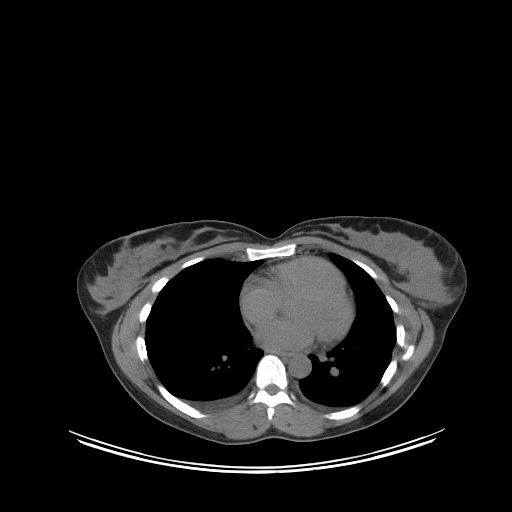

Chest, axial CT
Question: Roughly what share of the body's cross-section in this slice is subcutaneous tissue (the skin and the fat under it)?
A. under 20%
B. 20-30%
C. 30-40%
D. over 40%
Answer: C. 30-40%
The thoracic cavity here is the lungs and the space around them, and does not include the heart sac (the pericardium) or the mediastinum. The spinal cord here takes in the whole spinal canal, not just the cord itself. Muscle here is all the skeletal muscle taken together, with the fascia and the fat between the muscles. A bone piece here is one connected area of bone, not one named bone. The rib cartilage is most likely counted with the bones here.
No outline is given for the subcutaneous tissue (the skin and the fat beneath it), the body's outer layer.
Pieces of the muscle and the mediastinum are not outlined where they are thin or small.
Outlined structures:
spinal cord: (270, 384) (273, 384) (274, 385) (275, 385) (276, 386) (277, 386) (278, 387) (278, 388) (279, 389) (279, 390) (278, 391) (277, 391) (275, 393) (274, 393) (273, 394) (270, 394) (269, 393) (268, 393) (265, 390) (265, 387) (266, 386) (267, 386) (268, 385) (269, 385)
thoracic cavity 1: (210, 258) (241, 261) (262, 259) (261, 264) (243, 280) (238, 305) (242, 321) (251, 335) (252, 342) (262, 350) (263, 355) (256, 364) (252, 385) (247, 394) (222, 409) (202, 411) (172, 394) (161, 383) (148, 357) (145, 331) (146, 321) (153, 303) (169, 280) (182, 269)
thoracic cavity 2: (330, 252) (349, 259) (375, 281) (393, 313) (395, 325) (395, 344) (391, 352) (391, 359) (379, 383) (358, 403) (331, 411) (303, 397) (299, 397) (290, 386) (297, 386) (301, 379) (311, 373) (310, 354) (319, 356) (342, 341) (356, 315) (352, 287) (345, 274) (330, 258)
pericardium: (307, 254) (320, 256) (329, 260) (344, 274) (354, 297) (355, 315) (353, 321) (346, 335) (340, 341) (325, 349) (304, 351) (276, 349) (273, 347) (262, 345) (254, 338) (242, 317) (239, 303) (242, 286) (248, 276) (255, 272) (258, 267) (266, 262) (295, 255) (303, 256)
mediastinum 1: (252, 335) (253, 338) (262, 346) (276, 350) (309, 352) (321, 351) (334, 346) (331, 349) (320, 353) (319, 355) (310, 353) (308, 355) (311, 362) (310, 373) (307, 376) (301, 378) (297, 385) (290, 385) (286, 367) (282, 360) (275, 354) (264, 354) (263, 350) (254, 344)
mediastinum 2: (309, 249) (321, 249) (322, 250) (328, 251) (329, 252) (328, 256) (331, 260) (331, 261) (329, 259) (323, 256) (321, 256) (320, 255) (315, 255) (314, 254) (309, 254) (308, 253) (304, 254) (303, 255) (301, 254) (296, 254) (298, 252) (301, 252) (304, 250) (308, 250)
muscle: (302, 235) (309, 235) (310, 236) (315, 236) (316, 237) (324, 238) (333, 242) (335, 242) (348, 249) (356, 251) (368, 257) (387, 275) (391, 284) (397, 290) (400, 291) (408, 297) (416, 308) (419, 307) (423, 309) (429, 316) (434, 327) (434, 342) (433, 345) (427, 356) (421, 362) (418, 367) (403, 383) (403, 384) (389, 397) (360, 417) (350, 422) (338, 426) (328, 428) (323, 432) (316, 435) (312, 435) (311, 436) (297, 436) (296, 435) (292, 435) (280, 431) (276, 428) (271, 426) (267, 429) (265, 432) (260, 435) (254, 437) (251, 437) (250, 438) (246, 438) (245, 439) (232, 439) (231, 438) (228, 438) (222, 433) (214, 432) (202, 428) (163, 407) (150, 398) (144, 392) (140, 390) (124, 374) (117, 364) (111, 348) (111, 334) (112, 333) (112, 330) (119, 315) (128, 307) (130, 301) (146, 286) (149, 282) (149, 278) (153, 274) (188, 255) (221, 244) (234, 242) (235, 241) (245, 241) (246, 242) (251, 242) (252, 243) (260, 243) (261, 244) (272, 245) (278, 241) (284, 239) (287, 239) (288, 238) (291, 238) (292, 237) (297, 237), around a hole outlined by (290, 243) (297, 244) (298, 252) (321, 249) (369, 266) (378, 276) (374, 280) (379, 289) (397, 304) (393, 322) (403, 326) (404, 343) (414, 345) (412, 355) (403, 360) (406, 349) (396, 343) (391, 358) (396, 359) (397, 367) (389, 382) (384, 387) (379, 383) (358, 403) (361, 408) (357, 413) (342, 419) (326, 418) (328, 409) (297, 395) (295, 406) (277, 404) (270, 420) (267, 406) (250, 404) (247, 394) (222, 409) (205, 410) (208, 416) (203, 418) (176, 408) (159, 392) (160, 380) (150, 361) (142, 361) (136, 348) (137, 336) (144, 337) (146, 330) (146, 323) (139, 321) (140, 310) (145, 303) (152, 304) (158, 294) (151, 291) (153, 284) (163, 276) (172, 278) (184, 262) (195, 257) (240, 260) (247, 247) (265, 249)
torso: (339, 215) (391, 216) (425, 225) (450, 242) (465, 266) (465, 295) (442, 347) (419, 386) (396, 411) (371, 426) (333, 438) (308, 442) (268, 438) (228, 445) (156, 419) (124, 389) (76, 291) (78, 271) (98, 247) (136, 230) (174, 222) (224, 220) (275, 237) (298, 222)
bones 1: (268, 354) (275, 355) (281, 360) (285, 367) (289, 386) (296, 395) (295, 406) (287, 403) (277, 404) (274, 407) (274, 412) (270, 420) (268, 419) (267, 416) (267, 406) (264, 403) (257, 402) (250, 404) (247, 398) (253, 385) (253, 378) (256, 371) (257, 364) (264, 355); inner edge: (270, 384) (273, 384) (274, 385) (275, 385) (276, 386) (277, 386) (278, 387) (278, 388) (279, 389) (279, 390) (278, 391) (277, 391) (275, 393) (274, 393) (273, 394) (270, 394) (269, 393) (268, 393) (265, 390) (265, 387) (266, 386) (267, 386) (268, 385) (269, 385)
bones 2: (290, 243) (296, 243) (297, 244) (297, 252) (293, 255) (283, 256) (282, 257) (267, 257) (266, 258) (256, 259) (255, 260) (241, 260) (240, 258) (240, 256) (244, 253) (245, 248) (247, 247) (251, 247) (252, 248) (256, 248) (257, 249) (265, 249) (269, 247) (279, 247)
bones 3: (159, 383) (160, 383) (172, 395) (180, 399) (183, 402) (207, 414) (208, 416) (206, 417) (204, 417) (203, 418) (196, 418) (195, 417) (192, 417) (184, 413) (182, 411) (179, 410) (177, 408) (176, 408) (167, 400) (166, 400) (159, 392) (157, 388) (157, 384)
bones 4: (398, 324) (401, 324) (403, 326) (405, 331) (404, 343) (406, 345) (409, 345) (410, 344) (414, 345) (414, 350) (413, 351) (413, 353) (407, 360) (403, 360) (402, 359) (402, 356) (405, 352) (406, 349) (404, 347) (401, 347) (399, 346) (396, 343) (396, 325)
bones 5: (357, 404) (359, 404) (361, 406) (360, 410) (357, 413) (349, 417) (343, 418) (342, 419) (329, 419) (328, 418) (326, 418) (324, 416) (324, 414) (325, 413) (331, 412) (332, 411) (338, 411) (339, 410) (341, 410) (342, 409) (344, 409) (345, 408) (347, 408)
bones 6: (392, 359) (396, 359) (396, 360) (397, 361) (397, 367) (396, 368) (396, 370) (393, 374) (393, 375) (391, 377) (389, 382) (384, 387) (382, 387) (380, 384) (380, 380) (381, 379) (381, 378) (382, 377) (382, 376) (383, 375) (386, 368) (388, 366) (390, 361)
bones 7: (139, 335) (144, 337) (144, 341) (145, 342) (145, 347) (146, 348) (146, 352) (147, 353) (147, 357) (148, 358) (148, 360) (145, 360) (144, 361) (142, 361) (140, 359) (138, 355) (138, 353) (137, 352) (137, 349) (136, 348) (136, 338) (137, 336)
bones 8: (163, 276) (166, 276) (167, 277) (168, 277) (169, 278) (169, 279) (168, 280) (168, 281) (164, 285) (164, 286) (157, 293) (153, 293) (151, 291) (151, 288) (152, 287) (152, 286) (153, 285) (153, 284) (159, 278) (160, 278) (161, 277) (162, 277)
bones 9: (147, 302) (150, 302) (152, 304) (152, 305) (151, 306) (151, 308) (150, 309) (150, 311) (148, 314) (148, 316) (147, 317) (147, 318) (146, 319) (145, 322) (140, 322) (139, 321) (139, 313) (140, 312) (140, 310) (142, 308) (142, 307) (144, 305) (144, 304)
bones 10: (351, 259) (356, 259) (357, 260) (358, 260) (359, 261) (366, 264) (368, 266) (369, 266) (377, 274) (377, 275) (378, 276) (378, 278) (377, 278) (376, 279) (374, 279) (363, 268) (362, 268) (359, 265) (358, 265) (356, 263) (355, 263) (352, 260) (351, 260)
bones 11: (199, 256) (203, 256) (205, 258) (203, 260) (201, 260) (198, 262) (196, 262) (191, 265) (189, 265) (188, 266) (187, 266) (184, 268) (182, 268) (181, 269) (181, 265) (184, 262) (185, 262) (190, 259) (192, 259) (195, 257) (198, 257)
bones 12: (385, 295) (388, 295) (389, 296) (390, 296) (396, 302) (396, 303) (397, 304) (397, 306) (398, 307) (398, 312) (397, 313) (395, 313) (394, 312) (393, 312) (393, 311) (392, 310) (392, 309) (391, 308) (391, 307) (390, 306) (389, 303) (387, 301) (387, 300) (385, 297)